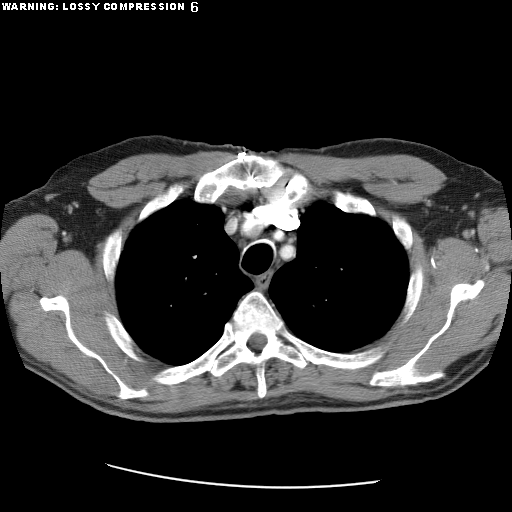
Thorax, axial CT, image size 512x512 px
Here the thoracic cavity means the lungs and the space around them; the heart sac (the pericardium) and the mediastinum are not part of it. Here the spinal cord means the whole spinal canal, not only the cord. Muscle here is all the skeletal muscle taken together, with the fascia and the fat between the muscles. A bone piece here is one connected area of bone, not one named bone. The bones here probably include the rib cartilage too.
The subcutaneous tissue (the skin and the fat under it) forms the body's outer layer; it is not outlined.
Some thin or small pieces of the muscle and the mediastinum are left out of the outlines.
The muscle is outlined by 198 151; 235 157; 200 175; 192 197; 178 198; 186 182; 168 185; 124 242; 119 225; 102 248; 119 314; 105 310; 105 325; 131 359; 143 362; 141 350; 169 366; 153 381; 220 377; 244 363; 254 366; 262 399; 267 393; 268 360; 367 367; 386 346; 354 351; 416 309; 424 272; 419 263; 410 272; 403 219; 390 226; 350 191; 334 189; 332 203; 308 196; 306 175; 260 155; 398 153; 433 164; 447 179; 420 210; 431 243; 474 227; 483 207; 508 208; 511 279; 499 336; 451 382; 423 392; 349 401; 301 391; 249 405; 173 413; 96 399; 19 355; 0 280; 6 230; 46 214; 58 225; 58 250; 92 258; 121 214; 89 194; 88 180; 128 156 with holes at 478 279; 484 281; 481 290; 474 298; 461 300; 456 305; 449 326; 415 363; 421 374; 441 370; 445 374; 443 377; 429 382; 401 386; 378 386; 369 383; 373 373; 395 369; 404 364; 443 326; 450 304; 450 292; 455 284; 473 283 and at 57 295; 64 296; 68 302; 70 323; 78 340; 99 355; 109 369; 124 383; 135 389; 145 388; 148 395; 122 399; 114 394; 119 390; 116 380; 96 358; 83 353; 68 337; 64 312; 61 310; 45 311; 42 309; 39 302; 41 297. The mediastinum is outlined by 258 189; 262 192; 271 190; 283 200; 296 201; 307 196; 319 200; 308 207; 300 218; 295 257; 277 269; 270 280; 268 295; 271 302; 261 291; 253 289; 251 279; 240 270; 239 250; 224 229; 224 213; 214 204; 226 192; 251 193. The spinal cord is outlined by 254 333; 259 333; 260 334; 262 334; 263 335; 264 335; 266 338; 266 343; 263 346; 263 347; 260 350; 259 350; 258 351; 256 351; 255 350; 253 350; 248 345; 248 341; 249 340; 249 338; 251 336; 251 335. The torso is outlined by 147 134; 230 143; 263 151; 393 137; 433 146; 483 168; 500 181; 511 221; 508 302; 487 365; 459 389; 421 403; 365 411; 297 412; 172 423; 104 413; 28 370; 10 330; 1 288; 0 233; 5 204; 41 186; 55 169; 74 157. The thoracic cavity appears in 2 outlined pieces: piece 1: 183 198; 191 198; 199 204; 213 204; 221 210; 223 229; 239 253; 237 266; 250 279; 253 287; 237 302; 230 319; 223 326; 220 337; 209 348; 189 362; 168 365; 143 351; 125 328; 118 310; 115 278; 124 243; 134 227; 155 212; piece 2: 320 200; 332 204; 345 213; 377 217; 385 222; 391 227; 395 237; 405 250; 408 261; 409 277; 400 313; 381 337; 350 352; 329 351; 296 336; 289 330; 275 309; 269 295; 269 286; 276 271; 297 255; 297 230; 302 216; 308 208. The bones appear in 10 outlined pieces: piece 1: 252 290; 265 296; 291 333; 317 348; 350 353; 381 345; 385 352; 355 369; 311 362; 300 368; 272 357; 264 366; 262 398; 255 366; 244 362; 220 376; 206 371; 175 384; 159 383; 152 379; 158 371; 189 363; 209 349; 238 302 with a hole at 254 333; 259 333; 260 334; 262 334; 263 335; 264 335; 266 338; 266 343; 263 346; 263 347; 260 350; 259 350; 258 351; 256 351; 255 350; 253 350; 248 345; 248 341; 249 340; 249 338; 251 336; 251 335; piece 2: 239 152; 255 154; 264 158; 276 159; 284 167; 302 173; 309 180; 309 192; 306 196; 300 199; 292 200; 280 198; 271 189; 265 187; 243 191; 231 186; 219 196; 214 203; 196 202; 192 198; 199 177; 206 172; 214 170; 232 160; piece 3: 478 279; 484 281; 481 290; 474 298; 461 300; 456 305; 449 326; 415 363; 421 374; 441 370; 445 374; 443 377; 429 382; 401 386; 378 386; 369 383; 373 373; 395 369; 404 364; 443 326; 450 304; 450 292; 455 284; 473 283; piece 4: 57 295; 64 296; 68 302; 70 323; 78 340; 99 355; 109 369; 124 383; 135 389; 145 388; 148 395; 122 399; 114 394; 119 390; 116 380; 96 358; 83 353; 68 337; 64 312; 61 310; 45 311; 42 309; 39 302; 41 297; piece 5: 119 226; 121 227; 121 230; 122 231; 121 236; 123 241; 123 247; 121 250; 119 259; 116 266; 115 277; 114 278; 114 286; 112 286; 107 280; 104 273; 103 262; 102 261; 102 258; 103 257; 103 248; 107 236; 114 229; 117 228; piece 6: 105 311; 108 311; 112 313; 120 320; 121 323; 123 325; 126 331; 140 349; 140 350; 138 351; 137 353; 143 359; 143 361; 137 361; 128 356; 114 341; 113 338; 111 336; 108 330; 108 328; 106 325; 106 323; 104 319; 104 313; piece 7: 336 189; 340 190; 343 192; 350 192; 355 195; 358 195; 359 196; 366 198; 374 207; 376 211; 377 216; 370 216; 367 214; 363 214; 362 213; 350 213; 349 212; 345 212; 341 209; 338 208; 336 206; 335 206; 332 202; 333 191; piece 8: 176 182; 184 182; 188 185; 183 192; 181 193; 175 200; 171 202; 168 205; 163 208; 161 208; 155 211; 149 215; 145 219; 136 224; 136 221; 140 213; 140 211; 146 204; 146 203; 155 197; 159 193; 163 192; 168 187; 168 186; piece 9: 417 264; 419 264; 422 267; 422 271; 423 272; 422 289; 421 290; 421 293; 418 302; 415 307; 415 309; 408 320; 402 324; 402 315; 401 314; 401 311; 404 305; 404 302; 406 297; 406 293; 407 292; 410 273; 414 269; 415 265; piece 10: 393 217; 397 217; 403 220; 409 226; 410 228; 411 236; 412 237; 412 243; 411 244; 410 248; 408 250; 406 250; 403 247; 399 240; 396 237; 392 229; 392 227; 391 226; 392 225; 392 220; 393 219.